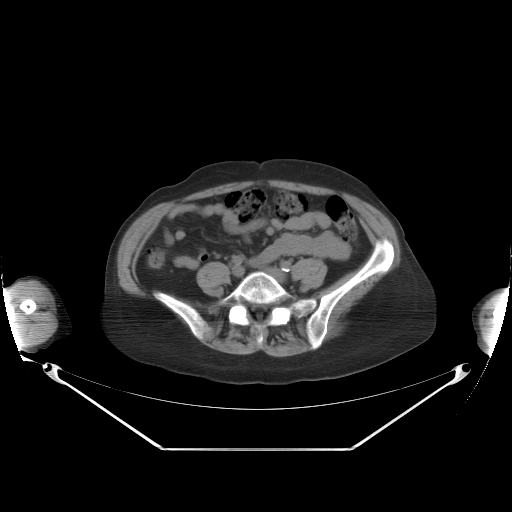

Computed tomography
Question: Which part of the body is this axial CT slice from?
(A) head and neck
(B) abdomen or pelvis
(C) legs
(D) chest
Answer: (B) abdomen or pelvis
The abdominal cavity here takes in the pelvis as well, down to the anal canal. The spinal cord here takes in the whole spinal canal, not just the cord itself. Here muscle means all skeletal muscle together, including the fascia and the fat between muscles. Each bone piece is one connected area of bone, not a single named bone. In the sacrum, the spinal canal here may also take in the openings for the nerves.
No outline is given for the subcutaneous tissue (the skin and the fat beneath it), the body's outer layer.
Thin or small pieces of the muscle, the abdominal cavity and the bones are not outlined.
{"right_arm":[[[28,274],[36,274],[42,276],[55,287],[63,301],[64,306],[72,323],[72,330],[68,336],[56,340],[45,350],[38,351],[34,353],[24,351],[24,344],[19,333],[18,327],[15,322],[15,314],[13,307],[10,302],[10,295],[6,289],[16,278]]],"muscle":[[[259,179],[279,179],[301,182],[344,191],[362,199],[381,211],[390,220],[396,230],[400,244],[399,265],[376,282],[373,287],[356,304],[351,307],[344,318],[348,323],[343,332],[323,344],[323,341],[328,332],[328,323],[330,316],[337,303],[351,289],[369,277],[376,274],[386,273],[390,269],[395,256],[393,243],[387,237],[377,239],[374,243],[373,248],[360,222],[358,212],[342,195],[337,193],[314,194],[262,183],[178,203],[161,217],[155,229],[143,244],[135,262],[135,273],[139,282],[144,288],[154,289],[151,292],[152,296],[165,306],[157,301],[136,297],[129,294],[118,283],[117,251],[119,244],[130,225],[145,211],[161,202],[180,198],[206,188],[230,182]],{"outer":[[209,262],[221,262],[229,269],[230,283],[224,287],[223,296],[217,302],[222,306],[231,302],[227,312],[227,319],[231,324],[251,325],[260,330],[265,327],[285,325],[293,314],[298,319],[310,312],[305,322],[305,332],[311,350],[291,356],[276,357],[261,350],[250,354],[231,354],[202,344],[199,341],[202,341],[210,330],[207,321],[195,307],[167,293],[201,302],[217,300],[215,296],[206,294],[196,281],[198,270]],"hole":[[260,333],[261,333],[262,334],[262,335],[263,336],[263,337],[263,338],[263,339],[263,340],[262,341],[262,342],[261,343],[260,344],[259,344],[258,343],[257,342],[257,341],[257,340],[257,339],[257,338],[257,337],[257,336],[258,335],[259,334]]},{"outer":[[30,279],[35,279],[41,282],[49,289],[53,295],[55,300],[56,317],[58,325],[55,332],[46,341],[35,346],[24,348],[24,344],[19,333],[18,327],[15,322],[15,314],[13,307],[10,302],[10,295],[8,292],[8,290],[18,281],[29,280]],"hole":[[28,299],[31,299],[36,304],[36,308],[34,310],[33,310],[31,312],[25,312],[24,311],[23,311],[21,309],[21,306],[20,305],[20,304],[21,303],[21,302],[22,302],[23,301],[24,301],[25,300],[27,300]]},[[300,258],[315,258],[316,259],[319,259],[320,260],[322,260],[322,261],[327,266],[327,271],[323,280],[323,282],[316,288],[309,289],[306,291],[301,291],[299,289],[300,282],[298,280],[293,280],[292,279],[291,273],[290,272],[291,271],[291,266]],[[498,292],[500,294],[502,294],[499,298],[497,305],[492,311],[492,321],[494,325],[493,326],[491,337],[488,344],[485,341],[485,340],[482,338],[481,331],[479,328],[479,325],[478,324],[478,314],[480,311],[480,308],[482,305],[489,298]],[[368,257],[362,266],[353,275],[352,275],[347,280],[346,280],[343,283],[334,289],[323,294],[319,298],[318,301],[314,297],[311,297],[311,296],[314,293],[319,291],[321,289],[323,289],[329,286],[348,272],[350,272],[356,269],[362,263],[363,263]],[[175,314],[178,315],[185,322],[185,323],[188,326],[188,327],[189,328],[189,329],[190,330],[191,333],[190,332],[190,331],[188,329],[188,328],[185,325],[184,325],[184,324],[183,323],[182,323],[182,322],[176,316],[176,315]]],"abdominal_cavity":[{"outer":[[262,184],[314,195],[342,196],[357,212],[372,246],[363,262],[310,297],[293,296],[261,269],[250,271],[224,296],[231,277],[229,267],[221,261],[209,261],[195,274],[200,289],[215,300],[190,299],[144,287],[136,273],[136,262],[144,244],[172,208]],"hole":[[300,258],[315,258],[316,259],[319,259],[320,260],[322,260],[322,261],[327,266],[327,271],[323,280],[323,282],[316,288],[309,289],[306,291],[301,291],[299,289],[300,282],[298,280],[293,280],[292,279],[291,273],[290,272],[291,271],[291,266]]}],"torso":[[[278,157],[307,159],[338,167],[367,184],[395,215],[437,294],[438,317],[431,337],[384,363],[357,373],[286,385],[214,382],[135,361],[110,345],[99,325],[98,305],[104,285],[109,247],[124,220],[149,193],[184,179],[198,167],[223,160],[263,161]]],"left_arm":[[[497,287],[502,287],[502,288],[504,289],[504,291],[500,296],[497,305],[492,311],[492,321],[494,325],[493,326],[491,337],[488,344],[488,353],[486,353],[482,351],[476,344],[476,335],[471,322],[471,310],[473,305],[479,298],[490,290]]],"spinal_cord":[[[252,305],[265,305],[266,306],[267,306],[267,312],[265,315],[265,317],[264,318],[264,319],[261,322],[259,322],[258,321],[257,321],[255,319],[255,318],[254,317],[254,316],[253,315],[253,314],[251,311],[251,307],[252,306]]],"bones":[{"outer":[[383,238],[392,243],[394,251],[389,269],[369,276],[341,297],[331,311],[321,345],[314,350],[306,332],[310,311],[298,318],[293,313],[285,324],[258,329],[231,323],[232,302],[218,302],[258,270],[273,276],[293,297],[318,302],[353,276],[376,241]],"hole":[[252,305],[265,305],[266,306],[267,306],[267,312],[265,315],[265,317],[264,318],[264,319],[261,322],[259,322],[258,321],[257,321],[255,319],[255,318],[254,317],[254,316],[253,315],[253,314],[251,311],[251,307],[252,306]]},[[154,290],[159,290],[162,292],[164,292],[183,302],[189,304],[195,308],[206,321],[209,327],[209,330],[205,334],[204,338],[202,340],[199,340],[192,333],[189,326],[186,322],[178,314],[172,311],[171,309],[162,302],[157,300],[152,294],[152,292]],[[28,299],[31,299],[36,304],[36,308],[34,310],[33,310],[31,312],[25,312],[24,311],[23,311],[21,309],[21,306],[20,305],[20,304],[21,303],[21,302],[22,302],[23,301],[24,301],[25,300],[27,300]]]}